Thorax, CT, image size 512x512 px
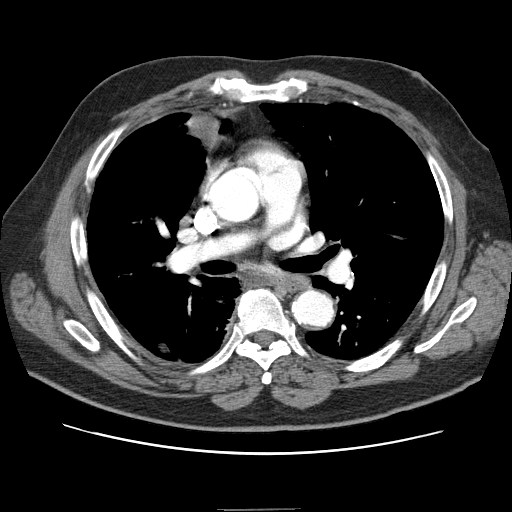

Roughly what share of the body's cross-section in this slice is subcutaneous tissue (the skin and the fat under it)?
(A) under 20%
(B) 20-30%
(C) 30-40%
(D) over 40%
Answer: (B) 20-30%
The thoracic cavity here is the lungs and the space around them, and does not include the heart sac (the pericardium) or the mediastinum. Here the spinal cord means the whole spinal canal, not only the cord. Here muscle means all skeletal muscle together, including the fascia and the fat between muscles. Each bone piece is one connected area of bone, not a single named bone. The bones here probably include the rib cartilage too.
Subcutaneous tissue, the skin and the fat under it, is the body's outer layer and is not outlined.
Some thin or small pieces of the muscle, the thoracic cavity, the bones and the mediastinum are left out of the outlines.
pericardium: (260, 134) (265, 134) (274, 138) (277, 142) (297, 155) (303, 164) (307, 180) (308, 217) (306, 220) (305, 231) (296, 244) (282, 254) (276, 256) (253, 256) (211, 244) (199, 236) (192, 223) (194, 203) (198, 194) (199, 186) (206, 171) (206, 164) (209, 165) (229, 150)
bones 1: (257, 288) (269, 289) (279, 300) (285, 315) (295, 325) (297, 336) (309, 352) (310, 359) (294, 352) (277, 357) (269, 366) (271, 381) (268, 384) (261, 381) (263, 369) (253, 359) (235, 352) (211, 370) (188, 375) (190, 369) (221, 348) (237, 320) (236, 305) (241, 295), around a hole outlined by (260, 330) (267, 330) (268, 331) (270, 331) (271, 332) (272, 332) (275, 335) (275, 339) (272, 342) (271, 342) (267, 346) (267, 347) (266, 347) (265, 348) (264, 348) (258, 343) (255, 342) (253, 340) (253, 339) (252, 338) (253, 337) (252, 336) (253, 335) (253, 334)
bones 2: (218, 76) (226, 78) (234, 76) (241, 77) (250, 83) (258, 84) (276, 82) (282, 79) (288, 79) (292, 76) (306, 79) (309, 88) (300, 97) (284, 102) (277, 102) (273, 100) (257, 100) (247, 102) (236, 100) (228, 101) (221, 96) (213, 95) (207, 91) (207, 88)
bones 3: (86, 286) (88, 286) (92, 289) (99, 297) (105, 308) (115, 323) (118, 326) (121, 333) (130, 343) (131, 346) (129, 347) (131, 350) (141, 359) (142, 365) (138, 364) (129, 357) (113, 341) (113, 340) (103, 329) (93, 313) (87, 300) (86, 293) (85, 292) (86, 290)
bones 4: (123, 122) (127, 122) (128, 125) (125, 130) (118, 138) (118, 140) (115, 146) (111, 150) (101, 169) (95, 178) (92, 187) (92, 191) (90, 195) (86, 192) (86, 189) (84, 186) (84, 179) (85, 178) (86, 169) (89, 163) (89, 161) (96, 147) (103, 138) (113, 128)
bones 5: (398, 336) (400, 336) (403, 339) (403, 343) (400, 348) (385, 363) (375, 369) (372, 369) (367, 371) (349, 371) (343, 369) (343, 367) (345, 364) (343, 362) (333, 362) (329, 360) (328, 358) (329, 357) (335, 359) (342, 359) (347, 361) (352, 361) (367, 356) (377, 351)
bones 6: (427, 150) (430, 151) (437, 160) (447, 179) (447, 182) (451, 194) (451, 201) (453, 207) (453, 221) (451, 225) (449, 225) (446, 223) (444, 220) (443, 209) (442, 208) (442, 204) (438, 188) (436, 185) (436, 182) (434, 179) (428, 162) (424, 155) (424, 153)
bones 7: (471, 296) (474, 296) (476, 298) (476, 305) (473, 311) (468, 316) (468, 317) (461, 322) (456, 322) (455, 323) (453, 323) (444, 332) (439, 340) (430, 348) (419, 353) (414, 353) (413, 352) (413, 349) (416, 345) (429, 339) (439, 330) (440, 330) (447, 322) (453, 310)
bones 8: (438, 258) (444, 258) (446, 260) (447, 267) (446, 268) (445, 277) (442, 286) (432, 305) (423, 316) (420, 316) (419, 315) (420, 307) (417, 306) (417, 305) (418, 302) (421, 299) (424, 293) (424, 291) (431, 277) (431, 275) (433, 272) (433, 270) (435, 267)
bones 9: (74, 215) (79, 215) (82, 220) (82, 222) (84, 224) (84, 227) (85, 228) (85, 237) (86, 238) (86, 245) (87, 246) (87, 263) (83, 265) (81, 265) (80, 267) (77, 267) (76, 265) (75, 259) (72, 251) (72, 247) (71, 246) (70, 224) (71, 223) (71, 219)
bones 10: (64, 318) (69, 318) (70, 319) (74, 319) (75, 320) (77, 320) (79, 322) (83, 324) (99, 341) (99, 343) (100, 344) (100, 349) (98, 351) (94, 352) (93, 351) (91, 351) (89, 349) (83, 346) (75, 338) (74, 338) (65, 328) (65, 327) (62, 323) (62, 321)
bones 11: (343, 97) (347, 97) (351, 99) (355, 99) (370, 107) (372, 107) (373, 108) (375, 108) (377, 109) (380, 112) (380, 113) (379, 112) (372, 111) (367, 108) (364, 108) (363, 107) (360, 107) (359, 106) (354, 105) (349, 102) (347, 102) (343, 100) (340, 100) (339, 99)
torso: (305, 54) (379, 59) (418, 71) (451, 102) (488, 148) (508, 213) (511, 279) (503, 325) (480, 379) (445, 399) (361, 424) (301, 431) (211, 432) (108, 412) (31, 377) (16, 346) (4, 303) (0, 273) (3, 215) (83, 97) (112, 73) (161, 57) (229, 55) (276, 59)
muscle: (224, 69) (239, 70) (245, 73) (255, 82) (267, 82) (280, 72) (286, 69) (314, 70) (362, 85) (409, 110) (434, 135) (443, 146) (451, 162) (453, 170) (466, 190) (470, 202) (471, 211) (473, 212) (475, 218) (483, 230) (488, 235) (495, 239) (502, 239) (511, 243) (510, 293) (505, 309) (503, 325) (500, 328) (498, 336) (495, 339) (492, 339) (479, 351) (468, 353) (467, 355) (464, 355) (456, 360) (450, 361) (422, 375) (416, 376) (412, 380) (392, 381) (387, 383) (358, 386) (356, 388) (347, 389) (342, 393) (337, 394) (334, 397) (328, 398) (321, 403) (303, 409) (285, 405) (273, 398) (268, 389) (264, 389) (248, 405) (234, 410) (225, 410) (222, 408) (217, 408) (208, 404) (204, 404) (190, 398) (152, 396) (122, 387) (66, 359) (59, 353) (54, 351) (39, 338) (23, 328) (15, 319) (12, 312) (9, 294) (10, 280) (16, 272) (18, 272) (26, 266) (38, 249) (42, 241) (44, 227) (50, 214) (53, 202) (72, 165) (83, 151) (110, 127) (111, 124) (110, 121) (116, 113) (140, 101) (145, 100) (155, 94) (167, 91) (179, 84) (197, 78) (207, 73) with holes at (218, 76) (258, 84) (304, 78) (309, 85) (305, 97) (347, 97) (377, 109) (423, 154) (430, 151) (441, 167) (453, 207) (452, 224) (443, 224) (438, 256) (446, 260) (445, 277) (426, 313) (420, 316) (416, 306) (397, 332) (403, 343) (381, 366) (349, 371) (343, 369) (343, 362) (333, 362) (308, 348) (310, 359) (294, 352) (277, 357) (269, 366) (268, 384) (261, 381) (263, 369) (253, 359) (235, 352) (211, 370) (188, 375) (197, 363) (165, 365) (133, 344) (129, 347) (141, 359) (142, 365) (138, 364) (93, 313) (86, 286) (99, 297) (100, 293) (89, 265) (76, 265) (70, 224) (79, 215) (86, 227) (91, 196) (84, 179) (96, 147) (123, 122) (128, 125) (119, 142) (151, 118) (186, 104) (221, 98) (207, 91) and at (471, 296) (474, 296) (476, 298) (476, 305) (473, 311) (468, 316) (468, 317) (461, 322) (456, 322) (455, 323) (453, 323) (444, 332) (439, 340) (430, 348) (419, 353) (414, 353) (413, 352) (413, 349) (416, 345) (429, 339) (439, 330) (440, 330) (447, 322) (453, 310) and at (64, 318) (69, 318) (70, 319) (74, 319) (75, 320) (77, 320) (79, 322) (83, 324) (99, 341) (99, 343) (100, 344) (100, 349) (98, 351) (94, 352) (93, 351) (91, 351) (89, 349) (83, 346) (75, 338) (74, 338) (65, 328) (65, 327) (62, 323) (62, 321) and at (189, 91) (190, 91) (191, 91) (192, 91) (193, 92) (193, 93) (193, 94) (193, 95) (192, 96) (191, 97) (190, 98) (189, 98) (188, 99) (187, 98) (186, 98) (185, 97) (184, 96) (185, 95) (185, 94) (186, 93) (187, 92) (188, 92)
spinal cord: (260, 330) (267, 330) (268, 331) (270, 331) (271, 332) (272, 332) (275, 335) (275, 339) (272, 342) (271, 342) (267, 346) (267, 347) (266, 347) (265, 348) (264, 348) (258, 343) (255, 342) (253, 340) (253, 339) (252, 338) (253, 337) (252, 336) (253, 335) (253, 334)
thoracic cavity 1: (330, 100) (385, 116) (415, 143) (435, 182) (444, 221) (439, 255) (415, 308) (392, 340) (352, 360) (318, 353) (300, 339) (329, 328) (336, 310) (332, 296) (313, 286) (315, 273) (300, 269) (306, 256) (326, 247) (326, 232) (311, 226) (301, 154) (260, 108) (262, 102)
thoracic cavity 2: (171, 111) (194, 111) (230, 121) (231, 128) (220, 145) (205, 158) (205, 171) (183, 224) (198, 258) (231, 264) (228, 274) (236, 277) (243, 289) (227, 339) (206, 360) (186, 366) (154, 361) (122, 333) (100, 298) (88, 264) (86, 237) (90, 197) (112, 150) (147, 120)
mediastinum 1: (196, 196) (191, 223) (198, 236) (241, 254) (282, 255) (301, 240) (308, 218) (314, 231) (324, 231) (325, 247) (306, 255) (299, 269) (313, 272) (312, 286) (333, 299) (329, 327) (300, 337) (273, 291) (244, 291) (238, 278) (229, 274) (231, 263) (199, 258) (184, 224)
mediastinum 2: (215, 98) (221, 98) (228, 102) (243, 103) (257, 101) (273, 101) (262, 101) (259, 105) (259, 108) (276, 133) (300, 154) (300, 158) (274, 137) (260, 133) (229, 149) (207, 164) (206, 158) (217, 150) (227, 131) (232, 128) (231, 121) (228, 118) (219, 119) (205, 112) (172, 110) (186, 104)